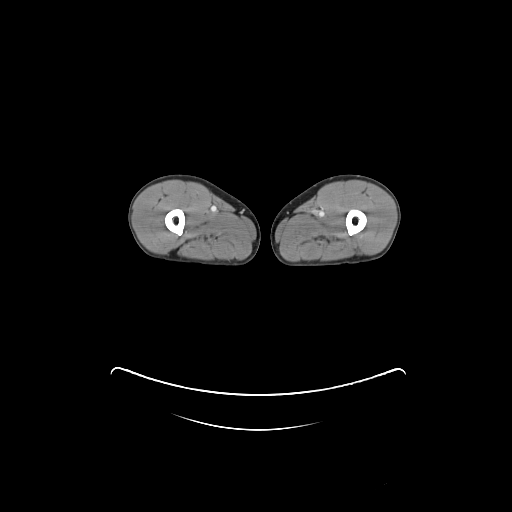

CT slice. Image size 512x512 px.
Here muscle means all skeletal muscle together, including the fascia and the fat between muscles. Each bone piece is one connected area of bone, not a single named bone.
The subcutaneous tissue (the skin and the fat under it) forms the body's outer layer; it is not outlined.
{"muscle":[{"outer":[[351,179],[363,180],[378,186],[384,190],[394,201],[397,212],[397,221],[392,235],[386,246],[376,254],[370,256],[366,255],[347,260],[323,262],[290,262],[284,259],[280,254],[279,248],[275,240],[276,228],[281,220],[295,206],[325,184],[334,181]],"hole":[[352,208],[355,208],[356,209],[358,209],[362,211],[366,215],[366,217],[367,218],[367,221],[366,222],[366,224],[364,228],[362,230],[361,230],[359,232],[353,235],[349,235],[347,232],[347,229],[345,225],[345,218],[346,217],[346,215],[348,211]]},{"outer":[[172,179],[193,181],[202,184],[213,193],[232,205],[238,211],[249,218],[253,223],[255,228],[254,247],[250,254],[242,260],[196,260],[172,255],[159,255],[149,251],[144,247],[138,239],[132,226],[131,216],[133,204],[140,193],[149,186],[162,181]],"hole":[[174,208],[179,208],[180,209],[182,209],[183,210],[183,212],[185,216],[185,224],[183,228],[183,231],[182,232],[182,234],[180,236],[170,231],[166,227],[165,225],[165,223],[164,222],[164,217],[165,215],[170,210]]}],"right_leg":[[[173,173],[190,174],[207,179],[242,201],[253,212],[259,223],[261,232],[261,240],[259,248],[253,259],[248,263],[241,266],[212,266],[204,264],[179,263],[151,258],[146,255],[138,247],[128,226],[127,213],[130,201],[135,192],[148,181],[162,175]]],"left_leg":[[[344,173],[361,174],[374,178],[385,184],[397,198],[401,210],[401,221],[395,239],[389,250],[382,257],[376,260],[357,264],[311,267],[295,267],[286,266],[282,264],[275,257],[270,244],[270,229],[272,222],[278,211],[288,201],[314,183],[326,177]]],"bones":[[[352,208],[355,208],[356,209],[358,209],[362,211],[366,215],[366,217],[367,218],[367,221],[366,222],[366,224],[364,228],[362,230],[361,230],[359,232],[353,235],[349,235],[347,232],[347,229],[345,225],[345,218],[346,217],[346,215],[348,211]],[[174,208],[179,208],[180,209],[182,209],[183,210],[183,212],[185,216],[185,224],[183,228],[183,231],[182,232],[182,234],[180,236],[170,231],[166,227],[165,225],[165,223],[164,222],[164,217],[165,215],[170,210]]]}